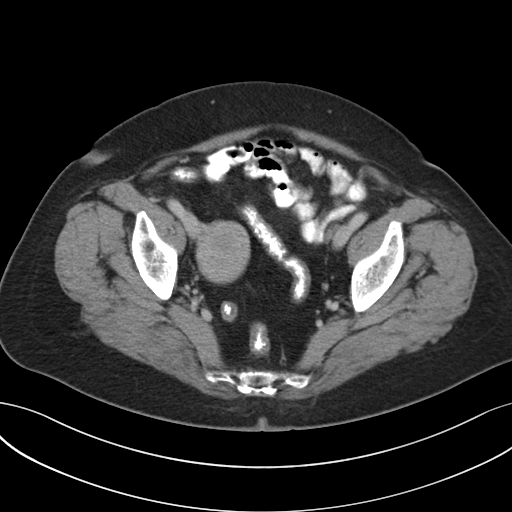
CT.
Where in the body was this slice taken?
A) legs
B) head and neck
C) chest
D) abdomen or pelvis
Answer: D) abdomen or pelvis
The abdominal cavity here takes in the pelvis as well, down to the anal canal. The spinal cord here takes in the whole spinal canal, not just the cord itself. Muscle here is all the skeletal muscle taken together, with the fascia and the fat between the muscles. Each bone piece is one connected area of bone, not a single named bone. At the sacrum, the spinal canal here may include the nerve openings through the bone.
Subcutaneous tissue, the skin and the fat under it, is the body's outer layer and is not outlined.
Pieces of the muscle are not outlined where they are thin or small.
{"bones":[[[392,220],[399,221],[401,222],[402,224],[403,238],[404,239],[404,261],[399,272],[386,291],[368,308],[363,311],[356,312],[353,308],[350,297],[350,284],[351,283],[351,275],[352,274],[353,267],[358,260],[369,255],[379,247],[382,242],[388,225]],[[140,210],[144,210],[151,219],[158,235],[165,242],[170,244],[177,250],[178,256],[177,262],[178,263],[177,264],[178,265],[177,266],[176,281],[174,284],[171,296],[166,300],[159,298],[143,281],[139,274],[131,253],[130,244],[135,221],[135,215]],[[227,370],[238,372],[244,370],[284,371],[309,375],[310,379],[302,388],[284,384],[282,380],[277,380],[273,384],[277,388],[273,395],[267,395],[261,391],[252,391],[245,394],[240,392],[234,384],[227,381],[212,382],[206,379],[205,373],[207,371]]],"spinal_cord":[[[253,384],[254,385],[265,385],[264,385],[263,386],[261,386],[260,387],[254,387],[253,386],[251,386],[250,385],[252,385]]],"abdominal_cavity":[[[269,130],[290,133],[356,161],[367,179],[400,202],[349,240],[346,251],[352,269],[348,315],[329,320],[312,333],[290,369],[238,371],[222,363],[214,328],[177,303],[178,262],[186,232],[169,211],[145,197],[137,184],[158,175],[184,154],[209,151]]],"muscle":[{"outer":[[270,122],[285,123],[334,138],[364,156],[385,165],[411,185],[440,200],[467,231],[478,277],[468,309],[457,317],[451,329],[433,344],[380,363],[316,396],[295,400],[268,396],[246,396],[227,400],[203,393],[171,375],[125,355],[106,345],[89,331],[87,325],[80,319],[80,304],[71,299],[58,282],[54,272],[54,247],[64,225],[66,212],[83,190],[100,181],[131,176],[145,163],[163,153],[188,147],[224,132]],"hole":[[269,130],[356,161],[367,179],[400,200],[349,240],[352,269],[379,247],[392,220],[402,224],[404,261],[373,304],[356,312],[350,300],[348,315],[319,327],[290,369],[280,370],[309,375],[304,387],[277,380],[273,395],[245,394],[206,379],[207,371],[232,369],[221,361],[214,328],[177,303],[176,281],[171,296],[159,298],[140,276],[130,244],[135,215],[144,210],[179,258],[186,245],[182,225],[137,184],[184,154]]}],"torso":[[[244,80],[299,83],[350,99],[393,124],[429,161],[444,169],[465,189],[511,242],[511,361],[439,394],[376,416],[310,429],[234,431],[184,425],[131,412],[23,368],[7,356],[0,346],[0,278],[32,213],[62,169],[105,132],[148,107],[193,89]]]}